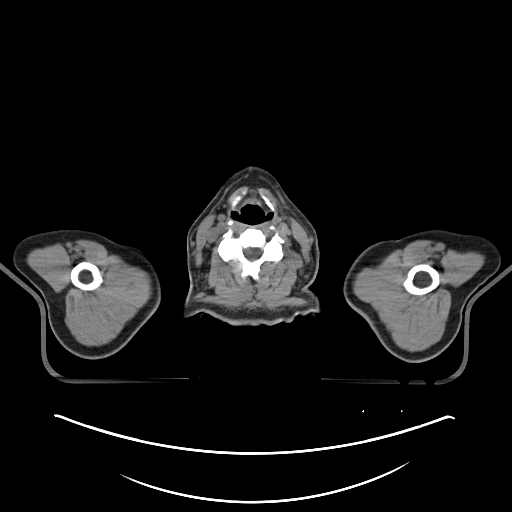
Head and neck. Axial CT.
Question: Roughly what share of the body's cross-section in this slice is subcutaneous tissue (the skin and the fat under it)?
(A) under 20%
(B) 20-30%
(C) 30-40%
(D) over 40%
Answer: (C) 30-40%
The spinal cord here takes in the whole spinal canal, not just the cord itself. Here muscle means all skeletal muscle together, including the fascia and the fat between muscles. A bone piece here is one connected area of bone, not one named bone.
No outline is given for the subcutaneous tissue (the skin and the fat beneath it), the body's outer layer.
{"muscle":[{"outer":[[244,174],[251,176],[261,175],[269,180],[277,188],[288,206],[312,237],[311,271],[300,289],[300,293],[310,301],[309,304],[274,312],[237,312],[198,303],[192,300],[197,292],[197,275],[192,253],[192,237],[194,232],[200,222],[218,201],[226,187]],"holes":[[[248,204],[255,204],[265,214],[272,216],[255,226],[268,238],[275,232],[270,228],[273,226],[284,240],[282,258],[277,262],[264,261],[260,265],[257,281],[249,275],[243,278],[239,262],[225,261],[217,251],[223,234],[229,228],[232,212],[240,212]],[[259,190],[261,190],[262,191],[262,192],[268,198],[268,199],[274,206],[274,208],[275,209],[275,213],[273,213],[273,212],[270,210],[270,209],[267,206],[267,205],[265,203],[265,202],[263,200],[263,199],[260,196],[260,193],[259,192]],[[244,189],[246,189],[247,190],[246,193],[245,194],[244,194],[242,196],[241,199],[238,202],[238,203],[234,207],[234,208],[232,208],[231,207],[231,202],[232,201],[232,200],[234,198],[234,197],[235,197],[237,195],[239,195],[242,192],[242,191]]]},{"outer":[[419,239],[440,241],[447,245],[471,251],[478,251],[483,253],[486,258],[482,267],[454,292],[445,329],[441,338],[424,350],[412,352],[401,348],[395,343],[385,326],[371,308],[354,294],[352,290],[352,281],[355,274],[361,268],[368,266],[390,251]],"hole":[[421,263],[426,263],[434,267],[440,274],[440,281],[439,282],[439,284],[434,289],[427,293],[425,293],[422,295],[415,295],[414,294],[411,294],[404,288],[403,286],[403,282],[406,278],[407,272],[410,269],[410,268],[417,264],[420,264]]},{"outer":[[72,239],[87,239],[96,241],[104,245],[131,263],[144,269],[149,273],[151,277],[152,294],[150,298],[126,322],[120,332],[111,341],[100,346],[86,346],[79,343],[74,338],[64,322],[62,306],[56,295],[25,261],[26,253],[30,249],[36,246]],"hole":[[80,261],[88,261],[97,266],[97,267],[99,269],[99,271],[102,276],[102,279],[103,280],[101,284],[98,287],[97,287],[93,290],[83,290],[75,286],[71,281],[71,278],[70,277],[70,272],[71,271],[71,269],[74,265],[75,265]]},[[233,220],[235,220],[236,221],[237,221],[238,222],[241,222],[242,223],[243,223],[244,224],[251,224],[249,224],[244,229],[243,229],[241,231],[240,231],[236,235],[234,233],[234,231],[233,230],[233,229],[231,227],[231,225],[233,223]]],"head_and_neck":[{"outer":[[248,165],[258,165],[271,172],[313,225],[319,248],[319,266],[309,288],[317,295],[322,308],[305,317],[296,315],[289,323],[281,321],[273,325],[260,324],[255,327],[234,327],[199,313],[181,318],[182,305],[190,284],[186,260],[188,229],[224,181]],"hole":[[248,204],[255,204],[255,205],[259,207],[265,214],[271,214],[272,216],[271,217],[271,219],[263,221],[260,223],[256,223],[255,224],[252,224],[251,223],[244,223],[241,221],[238,221],[235,219],[232,219],[232,212],[240,212],[242,208]]}],"left_arm":[[[430,229],[442,229],[485,237],[497,246],[501,254],[501,264],[497,273],[474,291],[466,302],[462,311],[462,323],[457,335],[448,347],[427,361],[410,363],[390,353],[365,320],[348,305],[342,294],[342,282],[353,260],[369,245],[380,240],[398,239]]],"bones":[{"outer":[[230,219],[232,220],[230,227],[236,236],[249,225],[255,225],[269,238],[275,232],[270,228],[273,226],[284,240],[282,258],[277,262],[264,261],[260,265],[257,281],[249,275],[243,278],[239,262],[237,260],[225,261],[217,251],[223,234],[229,228]],"hole":[[246,248],[259,248],[260,249],[261,249],[261,250],[262,251],[262,252],[261,253],[261,254],[260,255],[260,256],[258,258],[257,258],[256,259],[255,259],[254,260],[249,260],[245,256],[245,255],[244,254],[244,249],[245,249]]},[[421,263],[426,263],[434,267],[440,274],[440,281],[439,282],[439,284],[434,289],[427,293],[425,293],[422,295],[415,295],[414,294],[411,294],[404,288],[403,286],[403,282],[406,278],[407,272],[410,269],[410,268],[417,264],[420,264]],[[80,261],[88,261],[97,266],[97,267],[99,269],[99,271],[102,276],[102,279],[103,280],[101,284],[98,287],[97,287],[93,290],[83,290],[75,286],[71,281],[71,278],[70,277],[70,272],[71,271],[71,269],[74,265],[75,265]],[[259,190],[261,190],[262,191],[262,192],[268,198],[268,199],[274,206],[274,208],[275,209],[275,213],[273,213],[273,212],[270,210],[270,209],[267,206],[267,205],[265,203],[265,202],[263,200],[263,199],[260,196],[260,193],[259,192]],[[244,189],[246,189],[247,190],[246,193],[245,194],[244,194],[242,196],[241,199],[238,202],[238,203],[234,207],[234,208],[232,208],[231,207],[231,202],[232,201],[232,200],[234,198],[234,197],[235,197],[237,195],[239,195],[242,192],[242,191]]],"right_arm":[[[66,228],[89,230],[117,243],[133,246],[142,250],[152,260],[159,275],[162,289],[162,298],[159,306],[121,349],[105,358],[94,360],[79,357],[70,353],[60,344],[53,334],[49,324],[44,298],[15,268],[12,262],[13,249],[24,237],[39,232]]],"spinal_cord":[[[246,248],[259,248],[260,249],[261,249],[261,250],[262,251],[262,252],[261,253],[261,254],[260,255],[260,256],[258,258],[257,258],[256,259],[255,259],[254,260],[249,260],[245,256],[245,255],[244,254],[244,249],[245,249]]]}